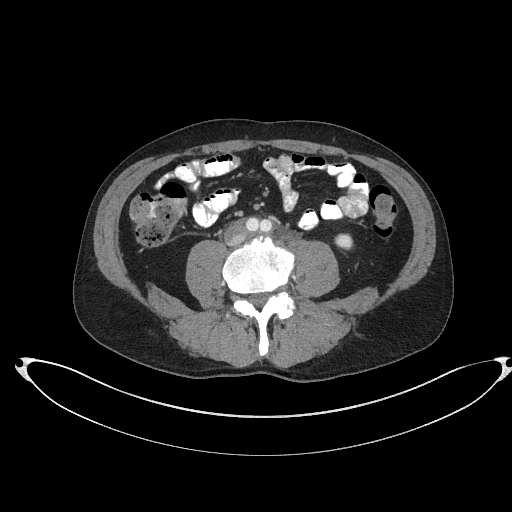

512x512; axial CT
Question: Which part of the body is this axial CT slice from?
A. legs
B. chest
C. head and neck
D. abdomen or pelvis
Answer: D. abdomen or pelvis
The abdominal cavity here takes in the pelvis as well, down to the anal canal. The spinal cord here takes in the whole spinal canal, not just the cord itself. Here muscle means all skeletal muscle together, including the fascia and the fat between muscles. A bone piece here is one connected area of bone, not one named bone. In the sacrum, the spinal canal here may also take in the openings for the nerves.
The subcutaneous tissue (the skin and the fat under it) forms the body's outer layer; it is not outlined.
Outlines (x, y in pixels):
muscle: 291 371; 303 371; 323 363; 339 348; 347 342; 351 337; 360 320; 365 314; 380 307; 387 305; 391 301; 395 299; 398 295; 409 290; 425 277; 429 271; 429 268; 432 264; 436 251; 436 222; 430 202; 419 183; 405 169; 387 158; 378 155; 369 154; 364 152; 359 152; 355 150; 351 150; 335 145; 325 144; 324 143; 309 141; 308 140; 302 140; 301 139; 291 139; 290 138; 278 138; 277 139; 270 139; 269 140; 255 140; 249 138; 236 138; 235 139; 215 141; 214 142; 195 145; 191 147; 188 147; 183 150; 169 152; 155 156; 148 156; 142 158; 126 167; 112 181; 107 188; 98 204; 95 214; 95 219; 93 225; 93 232; 92 233; 93 253; 96 259; 97 268; 102 276; 112 286; 126 294; 136 304; 154 314; 162 324; 167 334; 171 338; 171 340; 177 348; 183 353; 187 354; 191 357; 201 359; 204 361; 206 361; 208 363; 214 365; 224 366; 225 367; 244 368; 252 365; 257 360; 266 360; 276 368; 283 370; 290 370; inner edge: 261 356; 268 351; 269 320; 274 314; 286 319; 295 309; 282 290; 294 267; 293 253; 282 244; 286 239; 322 241; 336 257; 338 284; 315 302; 368 285; 382 293; 397 277; 411 251; 411 220; 378 173; 339 156; 257 147; 175 160; 147 177; 127 200; 119 245; 136 285; 142 288; 150 279; 199 309; 187 289; 187 260; 201 240; 221 241; 232 250; 222 277; 233 293; 233 311; 257 322
abdominal cavity: 196 309; 185 279; 192 247; 216 239; 232 249; 255 234; 282 243; 319 240; 331 248; 338 284; 310 300; 345 296; 368 285; 382 293; 411 251; 407 209; 378 173; 339 156; 257 147; 175 160; 127 200; 119 245; 138 287; 150 279
torso: 300 384; 353 376; 394 364; 427 349; 441 335; 453 304; 453 264; 445 220; 427 183; 386 146; 349 128; 320 121; 205 120; 172 131; 131 153; 101 183; 85 218; 72 284; 73 307; 81 327; 98 345; 165 374; 192 380; 267 374
bones: 261 356; 268 351; 267 325; 269 320; 274 314; 280 320; 286 319; 293 314; 295 309; 292 298; 282 290; 291 277; 294 255; 280 242; 263 235; 255 235; 233 248; 223 265; 222 277; 233 293; 233 311; 253 318; 257 322; 258 350, around a hole outlined by 258 310; 260 310; 260 309; 262 307; 263 304; 266 301; 266 300; 269 297; 269 294; 263 294; 262 293; 260 293; 259 294; 252 294; 251 295; 248 295; 245 297; 245 298; 248 301; 251 302; 253 304; 253 305; 254 305
spinal cord: 258 310; 260 310; 260 309; 262 307; 263 304; 266 301; 266 300; 269 297; 269 294; 263 294; 262 293; 260 293; 259 294; 252 294; 251 295; 248 295; 245 297; 245 298; 248 301; 251 302; 253 304; 253 305; 254 305